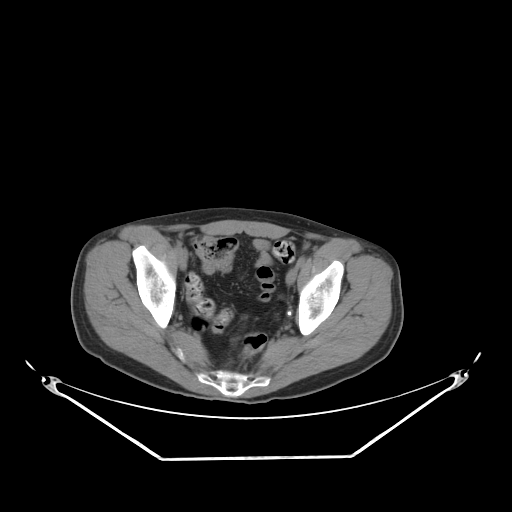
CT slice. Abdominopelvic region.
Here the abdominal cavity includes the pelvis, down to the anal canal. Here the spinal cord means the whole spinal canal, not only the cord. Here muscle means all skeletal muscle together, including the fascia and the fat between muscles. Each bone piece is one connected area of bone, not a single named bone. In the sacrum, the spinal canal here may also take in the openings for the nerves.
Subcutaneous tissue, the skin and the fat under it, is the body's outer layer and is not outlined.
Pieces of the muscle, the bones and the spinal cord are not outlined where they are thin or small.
{"muscle":[{"outer":[[226,219],[375,245],[393,271],[391,317],[378,342],[353,361],[238,397],[270,383],[270,376],[252,370],[272,342],[297,328],[307,336],[330,316],[344,264],[333,259],[298,291],[316,240],[293,232],[267,238],[188,228],[169,235],[176,278],[144,244],[131,250],[135,285],[160,328],[173,312],[173,323],[197,339],[212,369],[195,376],[223,395],[189,390],[105,344],[88,319],[83,291],[85,257],[100,238],[127,225]],"hole":[[177,348],[180,348],[182,350],[182,352],[183,353],[183,354],[184,355],[184,361],[182,361],[176,355],[176,354],[175,353],[175,350]]}],"bones":[[[139,245],[144,245],[153,255],[158,259],[164,261],[169,271],[175,277],[176,288],[175,289],[174,307],[170,320],[165,328],[160,327],[156,323],[150,312],[142,303],[137,289],[137,286],[136,285],[136,271],[135,270],[135,265],[132,257],[132,250]],[[333,260],[339,260],[343,264],[343,267],[344,268],[343,276],[341,281],[340,295],[338,301],[333,310],[326,319],[325,319],[312,332],[307,335],[303,335],[299,331],[298,328],[298,302],[299,301],[299,292],[301,290],[302,287],[315,274],[323,270]],[[217,369],[232,370],[243,373],[247,373],[248,372],[258,373],[260,375],[265,375],[270,377],[270,381],[266,386],[253,386],[247,389],[237,397],[229,397],[221,393],[215,387],[209,384],[200,382],[196,376],[196,373],[198,372],[204,372]]],"abdominal_cavity":[[[188,229],[198,229],[210,236],[245,233],[250,237],[267,239],[276,239],[293,233],[316,241],[296,280],[298,301],[295,324],[297,327],[293,332],[283,334],[272,341],[251,371],[213,369],[213,364],[198,339],[174,323],[178,261],[170,235],[172,232]]],"spinal_cord":[[[211,376],[212,376],[213,376],[214,376],[215,376],[215,377],[215,378],[215,379],[214,379],[213,379],[212,378],[211,377]]],"torso":[[[219,206],[276,210],[300,215],[355,234],[388,250],[399,265],[404,306],[403,325],[389,354],[368,370],[323,390],[290,399],[247,404],[200,399],[172,393],[135,379],[87,353],[77,340],[70,312],[72,276],[78,253],[83,244],[97,232],[124,222]]]}